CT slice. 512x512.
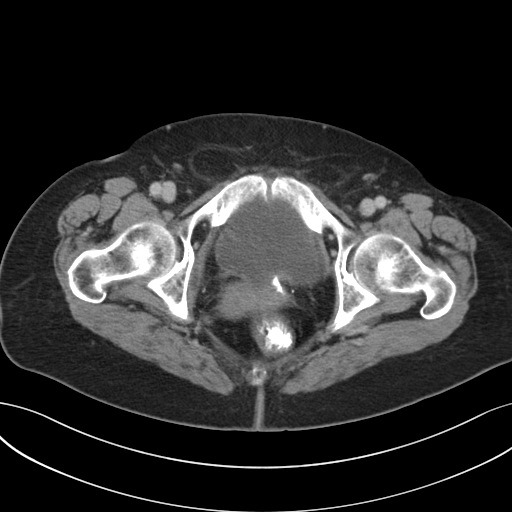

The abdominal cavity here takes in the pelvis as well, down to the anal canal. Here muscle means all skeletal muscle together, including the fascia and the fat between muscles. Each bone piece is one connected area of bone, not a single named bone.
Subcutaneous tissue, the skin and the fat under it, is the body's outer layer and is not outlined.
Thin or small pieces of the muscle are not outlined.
Outlines:
torso: 217,112 287,115 351,130 399,153 437,187 477,200 499,214 511,225 511,361 391,412 326,427 282,431 217,430 167,422 98,401 14,364 0,345 0,260 13,229 29,205 56,178 80,163 116,154 158,126
abdominal cavity: 256,197 260,197 265,202 275,199 286,202 297,213 304,225 319,235 325,247 327,246 334,282 331,313 324,324 299,345 273,357 263,359 254,359 240,354 216,335 194,311 202,281 203,263 215,231 243,204
muscle: 251,165 268,165 276,167 291,167 297,169 309,178 312,178 315,182 317,182 325,193 350,216 372,213 382,207 393,197 406,192 421,193 431,197 433,196 441,200 463,223 469,227 476,236 476,250 474,253 474,257 478,275 478,287 476,293 469,300 469,308 461,324 445,339 438,343 412,353 388,357 347,379 334,383 323,389 306,393 280,393 277,389 270,387 268,384 266,384 263,389 258,389 255,386 259,386 264,383 267,371 254,363 250,369 251,375 248,379 248,383 253,386 242,385 236,387 229,395 223,395 210,391 188,380 167,372 152,362 141,359 119,348 107,339 82,326 72,317 70,313 64,293 55,275 52,260 53,252 58,241 58,239 56,238 58,233 56,228 57,218 61,211 78,193 91,185 105,179 125,175 132,177 141,189 144,190 160,204 184,206 208,189 215,181 221,177 225,177 239,168; inner edge: 247,174 305,183 358,243 378,232 402,238 454,282 451,308 426,319 419,312 421,291 380,292 379,301 328,332 339,306 338,247 325,228 319,236 334,282 328,319 278,355 246,357 194,311 218,229 205,219 191,236 186,300 192,321 171,314 141,276 108,283 99,303 75,296 66,272 81,252 103,248 149,220 171,232 180,259 178,222
bones 1: 247,174 305,183 358,243 402,238 454,282 451,308 426,319 421,291 380,292 328,332 335,235 260,196 219,226 195,226 192,321 141,276 108,283 99,303 75,296 66,272 81,252 149,220 180,259 178,222
bones 2: 254,364 256,364 256,365 258,367 262,369 264,369 266,371 266,375 265,376 265,378 264,379 264,381 263,383 259,385 255,385 254,386 253,385 251,385 249,383 249,379 252,375 252,373 251,372 251,369